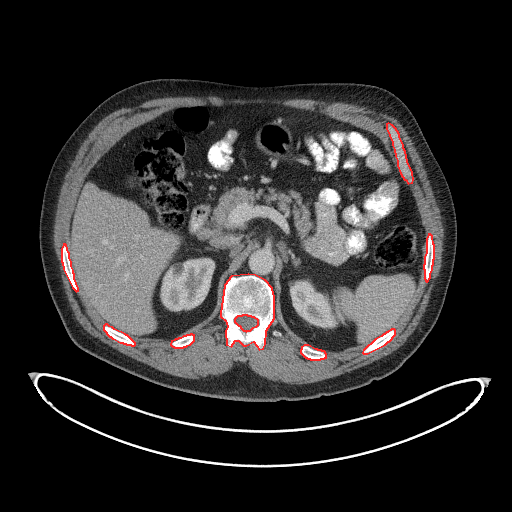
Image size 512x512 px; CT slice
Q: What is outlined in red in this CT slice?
A: red: bones.
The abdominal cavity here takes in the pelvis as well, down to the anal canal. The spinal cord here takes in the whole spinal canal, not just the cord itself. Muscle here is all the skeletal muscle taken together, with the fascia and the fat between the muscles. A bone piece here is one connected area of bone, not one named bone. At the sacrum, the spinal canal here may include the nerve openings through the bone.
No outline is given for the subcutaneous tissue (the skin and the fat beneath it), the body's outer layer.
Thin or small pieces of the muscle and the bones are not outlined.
{"bones":[{"outer":[[259,349],[263,348],[265,344],[266,330],[274,318],[274,297],[272,288],[265,280],[255,275],[248,274],[231,276],[224,285],[220,313],[220,316],[225,320],[227,326],[225,331],[226,344],[231,346],[235,340],[238,340],[243,345],[246,345],[253,341]],"hole":[[246,331],[247,330],[250,330],[253,327],[256,326],[258,324],[258,320],[254,317],[252,317],[251,316],[248,316],[247,315],[242,315],[241,316],[237,316],[234,319],[234,321],[238,325],[239,325],[240,326],[240,327],[243,330],[245,330]]},[[408,183],[412,182],[413,180],[412,172],[407,161],[405,151],[403,148],[403,145],[399,136],[399,134],[395,128],[392,125],[388,123],[386,124],[386,128],[392,142],[392,145],[394,149],[395,156],[397,160],[397,165],[400,173],[404,179],[405,179]],[[426,281],[427,281],[430,277],[430,274],[432,269],[432,265],[433,264],[433,259],[434,258],[434,245],[433,244],[432,236],[430,234],[428,234],[426,239],[426,252],[424,257],[424,264],[423,265],[423,268],[424,269],[424,278]],[[76,291],[78,290],[78,288],[74,278],[74,274],[73,273],[73,270],[71,266],[71,262],[69,257],[69,253],[68,252],[66,245],[65,244],[63,244],[61,249],[61,261],[62,262],[63,269],[72,287]],[[363,353],[367,353],[385,344],[388,341],[389,341],[395,334],[395,330],[394,329],[391,329],[387,332],[386,332],[384,334],[383,334],[381,336],[375,339],[363,350],[362,352]],[[131,345],[134,345],[135,344],[135,343],[127,335],[126,335],[125,334],[114,329],[112,327],[109,326],[107,324],[105,324],[103,326],[103,329],[109,336],[110,336],[112,338],[113,338],[120,342],[122,342],[123,343],[125,343],[126,344],[130,344]],[[310,359],[320,359],[321,358],[324,358],[325,357],[326,357],[326,354],[324,351],[322,351],[321,350],[318,350],[317,349],[315,349],[308,345],[304,345],[301,347],[301,349],[300,350],[300,352],[305,357],[306,357],[307,358],[309,358]],[[174,347],[183,347],[184,346],[186,346],[187,345],[190,344],[194,340],[194,335],[193,335],[192,334],[190,334],[189,335],[186,335],[185,336],[183,336],[180,338],[178,338],[177,339],[175,339],[174,340],[171,341],[170,344],[172,346],[173,346]]],"muscle":[{"outer":[[290,384],[305,384],[334,377],[369,364],[391,353],[402,345],[413,332],[426,309],[434,285],[434,281],[439,274],[441,266],[444,230],[441,221],[440,210],[436,203],[426,171],[410,137],[403,126],[396,118],[385,112],[377,112],[374,109],[371,109],[366,106],[360,106],[352,103],[325,102],[310,99],[221,98],[216,96],[179,96],[156,98],[146,101],[135,107],[122,108],[116,110],[104,117],[88,134],[71,162],[61,186],[55,213],[53,232],[54,248],[59,261],[59,269],[64,289],[75,318],[83,328],[91,335],[118,351],[158,370],[175,376],[198,380],[218,375],[228,371],[240,363],[243,363],[246,364],[255,373],[263,377],[273,381],[281,381]],"hole":[[310,359],[326,357],[325,350],[339,351],[366,343],[362,352],[367,353],[385,344],[395,334],[393,326],[415,295],[421,270],[424,269],[426,281],[430,277],[433,240],[430,234],[425,238],[415,199],[407,185],[413,176],[395,128],[388,123],[386,128],[396,165],[372,133],[320,113],[282,105],[174,108],[124,135],[86,176],[70,220],[69,246],[63,244],[61,249],[68,280],[106,322],[106,333],[131,345],[135,344],[130,338],[133,337],[172,339],[172,346],[183,347],[194,340],[194,335],[174,338],[208,317],[220,300],[220,316],[227,326],[226,344],[231,346],[238,340],[246,345],[253,341],[261,349],[274,318],[277,297],[288,327],[309,344],[302,346],[300,352]]}],"abdominal_cavity":[[[332,351],[367,344],[393,328],[415,295],[423,264],[425,232],[415,199],[375,135],[282,105],[186,106],[134,128],[93,166],[74,204],[68,249],[78,287],[106,323],[135,339],[173,339],[221,303],[228,277],[250,273],[272,286],[294,333],[315,348]]],"torso":[[[239,401],[302,400],[364,386],[398,369],[437,321],[456,252],[452,195],[415,117],[401,99],[384,88],[353,82],[249,86],[188,78],[146,80],[117,91],[96,106],[71,133],[53,161],[42,198],[39,249],[49,293],[70,339],[87,353],[153,383]]],"spinal_cord":[[[246,331],[247,330],[250,330],[253,327],[256,326],[258,324],[258,320],[254,317],[252,317],[251,316],[248,316],[247,315],[242,315],[241,316],[237,316],[234,319],[234,321],[238,325],[239,325],[240,326],[240,327],[243,330],[245,330]]]}